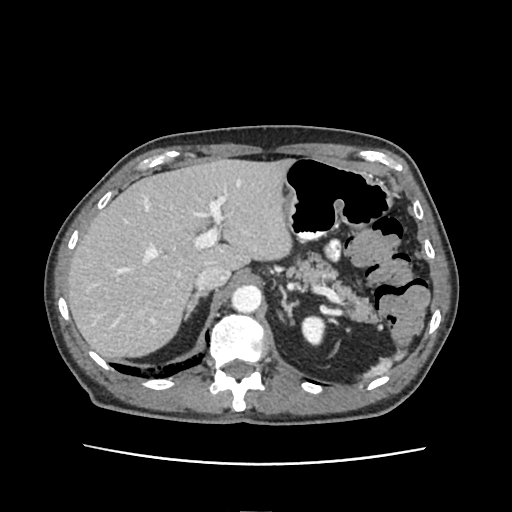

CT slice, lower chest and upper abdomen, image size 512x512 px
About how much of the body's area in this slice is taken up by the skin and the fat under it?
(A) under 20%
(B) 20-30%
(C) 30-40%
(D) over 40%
(A) under 20%
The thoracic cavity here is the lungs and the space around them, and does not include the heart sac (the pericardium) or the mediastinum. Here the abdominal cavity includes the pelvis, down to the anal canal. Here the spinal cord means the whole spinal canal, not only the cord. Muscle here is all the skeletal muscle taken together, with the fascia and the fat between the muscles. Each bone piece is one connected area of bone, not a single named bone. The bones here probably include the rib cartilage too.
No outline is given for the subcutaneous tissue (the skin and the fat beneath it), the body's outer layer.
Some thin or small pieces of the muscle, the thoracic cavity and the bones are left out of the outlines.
The bones appear in 11 outlined pieces: piece 1: 235,411 245,409 243,397 248,389 263,390 265,388 261,380 259,362 267,350 267,344 264,329 257,320 251,316 232,313 223,316 210,333 209,353 214,361 215,370 209,389 213,394 229,389 233,394 232,408 with a hole at 237,379 239,379 244,376 247,376 249,375 249,374 253,370 254,368 253,367 253,365 251,363 245,362 239,359 235,359 225,364 225,365 223,367 223,369 225,371 225,372 227,374 231,375 235,377; piece 2: 397,171 401,171 402,170 402,166 401,164 399,162 389,157 386,154 380,151 366,149 365,150 361,150 359,151 358,153 358,154 365,160 367,160 368,161 377,161; piece 3: 138,170 144,170 148,168 151,168 156,165 159,165 163,163 166,163 172,160 174,158 179,156 180,155 180,152 176,150 169,150 161,154 158,154 157,155 154,155 151,157 145,158 139,162 136,166 136,168; piece 4: 153,389 165,389 166,388 168,388 169,387 171,387 173,385 174,385 174,382 172,380 171,377 168,377 167,378 157,378 156,379 146,379 145,380 144,380 141,383 141,384 146,387 148,387 149,388 152,388; piece 5: 430,334 432,333 438,327 439,325 439,323 440,322 440,320 441,319 440,310 438,308 436,308 435,309 435,311 432,314 432,316 431,317 431,319 429,323 429,326 428,327 429,328 429,330 428,332; piece 6: 311,393 319,393 320,392 321,392 323,389 323,386 321,386 320,385 317,385 314,383 312,383 311,382 308,382 307,381 305,381 304,380 300,384 300,385 301,386 301,387 304,390 305,390 308,392 310,392; piece 7: 65,320 69,320 70,319 70,316 69,315 69,312 68,311 68,308 67,307 67,304 65,301 65,299 62,296 60,296 57,302 58,303 58,307 59,308 60,313 62,315 62,316; piece 8: 108,370 113,370 114,369 109,364 108,364 101,357 100,357 95,352 94,352 92,350 89,350 88,351 88,353 89,354 89,355 99,365 100,365 102,367 103,367 105,369 107,369; piece 9: 368,390 370,390 377,386 379,386 380,385 383,384 385,382 386,382 389,379 389,376 388,375 382,375 381,376 380,376 379,377 378,377 377,378 372,380 369,383 368,383 368,384 366,386 366,389 367,389; piece 10: 98,209 101,209 109,201 109,200 112,197 112,196 113,195 113,191 112,190 109,190 108,191 107,191 99,199 99,200 97,202 97,204 96,205 97,206 97,208; piece 11: 420,220 423,218 423,217 424,216 424,214 423,213 423,210 422,209 422,207 421,206 419,201 416,198 415,198 412,201 412,202 413,203 413,210 414,211 414,214 415,215 415,217 416,217 418,219 419,219. The mediastinum is outlined by 210,330 212,326 223,315 232,312 251,315 260,321 261,318 261,310 262,309 262,290 256,284 252,282 241,282 239,284 235,285 226,290 222,299 218,304 218,306 216,309 216,312 214,314 214,321 210,327. The torso is outlined by 260,425 350,421 392,410 419,386 452,328 459,300 459,276 448,236 416,163 404,149 385,138 348,129 300,124 230,126 156,137 116,161 72,208 53,239 43,277 46,316 59,354 93,404 123,413 173,421. The abdominal cavity is outlined by 334,386 366,385 392,373 424,341 435,308 435,271 422,229 405,184 390,169 260,153 163,171 131,181 80,234 66,301 82,339 108,363 154,372 201,354 224,291 252,281 263,290 260,323 272,354 303,379. The muscle is outlined by 265,415 342,412 390,397 414,378 443,328 451,288 440,237 407,163 387,149 316,142 267,149 235,143 155,148 118,170 84,205 62,239 53,272 54,307 69,352 85,373 115,397 136,406 176,412 234,412 229,390 213,395 208,389 214,370 208,352 198,365 171,376 175,385 165,390 142,386 145,378 115,369 105,370 88,355 89,348 71,320 63,319 56,302 60,295 65,298 72,251 66,245 72,231 76,228 81,233 98,210 96,202 107,190 112,189 115,194 138,176 163,170 260,152 336,157 389,168 361,158 358,151 369,148 399,161 403,170 392,170 402,178 412,200 416,197 420,201 425,216 418,221 436,254 431,260 438,287 436,307 442,315 439,327 432,334 427,333 419,350 389,375 386,383 370,391 365,386 324,386 319,394 308,393 299,385 303,380 278,361 268,347 260,362 266,388 248,390 244,397 245,412, around a hole outlined by 138,170 144,170 148,168 151,168 156,165 159,165 163,163 166,163 172,160 174,158 179,156 180,155 180,152 176,150 169,150 161,154 158,154 157,155 154,155 151,157 145,158 139,162 136,166 136,168. The spinal cord is outlined by 237,379 239,379 244,376 247,376 249,375 249,374 253,370 254,368 253,367 253,365 251,363 245,362 239,359 235,359 225,364 225,365 223,367 223,369 225,371 225,372 227,374 231,375 235,377. The thoracic cavity is outlined by 146,378 167,377 183,369 198,364 206,355 209,349 210,339 209,328 206,333 205,350 203,353 184,362 183,364 172,365 162,369 161,371 154,373 143,372 137,368 112,364 111,365 114,368 123,373.